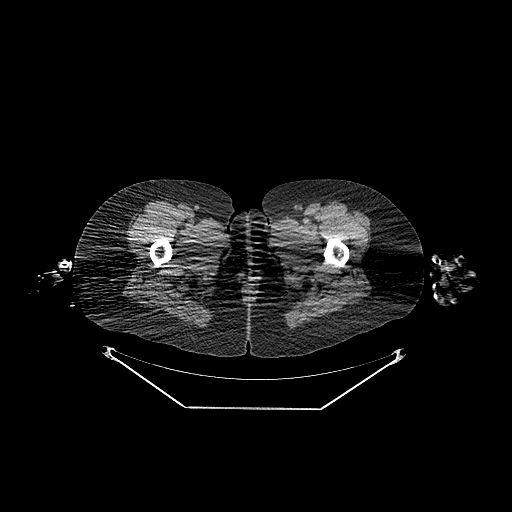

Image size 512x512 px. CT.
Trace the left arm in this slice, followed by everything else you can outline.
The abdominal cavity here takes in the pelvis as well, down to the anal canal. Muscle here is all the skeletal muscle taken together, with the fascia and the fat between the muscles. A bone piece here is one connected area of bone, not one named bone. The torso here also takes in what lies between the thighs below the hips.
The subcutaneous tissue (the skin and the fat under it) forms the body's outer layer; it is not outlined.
{"left_arm":[[[438,253],[451,254],[457,253],[464,256],[468,266],[474,271],[475,274],[480,279],[480,282],[474,286],[471,290],[458,297],[460,301],[457,304],[443,306],[437,302],[434,296],[432,276],[430,273],[432,272],[433,264],[432,258],[434,255]]],"muscle":[{"outer":[[152,200],[189,203],[204,215],[221,222],[232,238],[231,249],[218,267],[212,300],[209,306],[213,314],[210,321],[205,325],[194,325],[167,313],[156,312],[137,306],[123,294],[123,288],[133,264],[125,249],[126,230],[138,209],[141,209]],"hole":[[161,237],[165,237],[167,238],[170,241],[170,243],[172,246],[172,258],[171,260],[168,262],[163,263],[161,265],[161,266],[158,264],[155,264],[151,260],[149,256],[149,247],[150,245],[153,241]]},{"outer":[[315,200],[338,200],[352,209],[361,211],[370,219],[372,238],[361,261],[362,272],[369,282],[369,294],[363,302],[355,303],[342,311],[322,314],[303,325],[288,327],[286,316],[291,303],[287,295],[280,264],[267,242],[267,227],[272,220],[295,213]],"hole":[[331,238],[338,238],[342,240],[343,242],[347,246],[348,246],[349,248],[349,258],[345,264],[345,267],[343,268],[335,268],[334,267],[332,267],[330,265],[327,265],[323,262],[323,257],[322,256],[322,254],[323,253],[324,248],[326,245],[326,241]]},[[438,257],[453,259],[457,265],[467,270],[463,275],[464,278],[467,280],[470,279],[469,283],[464,283],[460,286],[460,291],[458,293],[454,296],[451,295],[447,299],[442,299],[437,294],[437,286],[440,282],[440,273],[436,264],[439,266],[442,262]],[[56,265],[58,265],[58,267],[60,269],[66,269],[65,271],[61,273],[59,275],[58,275],[46,285],[40,288],[38,288],[36,287],[35,285],[35,283],[36,281],[37,280],[39,280],[41,281],[44,279],[45,276],[43,273],[50,268]],{"outer":[[251,278],[253,278],[258,283],[258,285],[259,286],[259,291],[258,292],[258,296],[257,297],[257,299],[256,300],[256,301],[253,304],[252,304],[251,305],[247,305],[243,301],[243,300],[242,299],[242,286],[244,284],[244,283],[247,280],[248,280]],"hole":[[250,281],[252,281],[252,283],[253,284],[253,286],[255,289],[255,298],[253,300],[253,301],[252,301],[251,302],[249,302],[248,301],[247,301],[247,299],[246,298],[246,297],[244,295],[245,294],[245,288],[246,287],[246,284],[248,282],[249,282]]}],"right_arm":[[[64,258],[70,261],[72,263],[71,265],[71,271],[67,277],[64,278],[55,285],[51,286],[44,292],[39,294],[37,296],[32,296],[26,294],[26,291],[29,285],[34,281],[38,274],[43,273],[44,271],[47,270],[48,268],[53,264],[57,263]]],"right_leg":[[[163,178],[209,183],[224,190],[232,200],[234,209],[231,214],[230,252],[240,295],[248,317],[247,345],[244,355],[218,357],[198,354],[130,333],[107,330],[87,318],[82,306],[73,296],[71,284],[75,248],[82,230],[92,214],[118,190],[136,182]]],"torso":[[[252,207],[256,207],[259,209],[260,208],[269,227],[269,236],[268,237],[268,243],[267,244],[262,283],[260,286],[259,291],[254,299],[253,304],[248,312],[241,295],[231,252],[231,225],[232,224],[232,214],[234,210],[237,213],[242,210],[247,210]]],"abdominal_cavity":[[[250,281],[252,281],[252,283],[253,284],[253,286],[255,289],[255,298],[253,300],[253,301],[252,301],[251,302],[249,302],[248,301],[247,301],[247,299],[246,298],[246,297],[244,295],[245,294],[245,288],[246,287],[246,284],[248,282],[249,282]]],"bones":[[[331,238],[338,238],[342,240],[343,242],[347,246],[348,246],[349,248],[349,258],[345,264],[345,267],[343,268],[335,268],[334,267],[332,267],[330,265],[327,265],[323,262],[323,257],[322,256],[322,254],[323,253],[324,248],[326,245],[326,241]],[[161,237],[165,237],[167,238],[170,241],[170,243],[172,246],[172,258],[171,260],[168,262],[163,263],[161,265],[161,266],[158,264],[155,264],[151,260],[149,256],[149,247],[150,245],[153,241]],[[458,255],[462,255],[463,256],[464,256],[465,257],[465,258],[466,259],[466,263],[465,264],[465,265],[464,265],[463,266],[462,266],[461,265],[459,265],[458,264],[457,264],[456,263],[456,262],[455,261],[455,258],[456,257],[456,256],[457,256]],[[63,260],[66,260],[67,261],[70,261],[71,262],[71,268],[70,269],[69,269],[68,268],[60,268],[59,267],[59,264],[60,263],[60,262],[61,262]],[[450,297],[457,297],[458,298],[459,298],[459,299],[460,300],[460,301],[459,302],[459,303],[458,303],[457,304],[450,304],[449,303],[448,303],[448,302],[447,301],[447,300],[448,299],[448,298],[449,298]],[[469,270],[472,270],[473,271],[474,271],[475,274],[474,275],[474,276],[473,276],[472,277],[471,277],[470,278],[467,279],[466,278],[465,278],[464,275],[465,274],[465,273],[467,271],[468,271]],[[464,284],[468,284],[469,285],[470,285],[470,286],[471,287],[471,288],[470,289],[470,290],[469,290],[468,291],[466,291],[465,292],[463,292],[462,291],[461,291],[461,290],[460,289],[460,288],[461,287],[461,286],[462,285],[463,285]],[[434,255],[435,255],[436,256],[437,256],[437,258],[438,259],[440,259],[441,260],[441,262],[440,263],[440,264],[439,265],[438,264],[437,264],[436,263],[435,263],[434,262],[433,262],[433,261],[432,260],[432,258],[433,257],[433,256]],[[40,273],[41,273],[42,274],[43,274],[43,275],[44,276],[44,277],[43,278],[43,279],[42,279],[41,280],[40,280],[39,279],[38,279],[38,278],[37,277],[37,276],[38,275],[38,274],[39,274]]],"left_leg":[[[321,178],[344,179],[369,186],[391,200],[407,217],[420,239],[423,250],[424,280],[419,299],[407,315],[333,346],[301,356],[279,358],[254,356],[249,352],[248,345],[248,313],[263,283],[270,236],[270,227],[261,209],[262,199],[270,189],[279,184]]]}